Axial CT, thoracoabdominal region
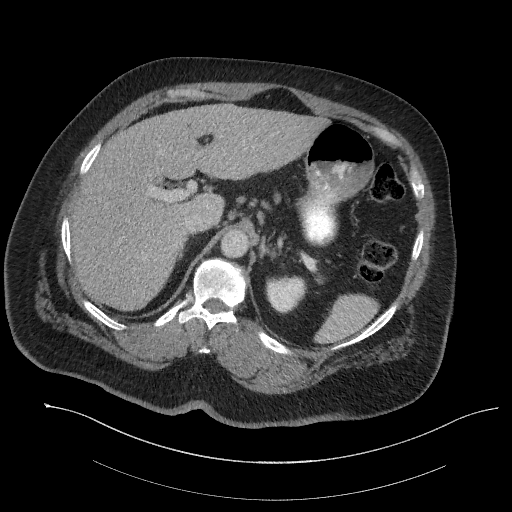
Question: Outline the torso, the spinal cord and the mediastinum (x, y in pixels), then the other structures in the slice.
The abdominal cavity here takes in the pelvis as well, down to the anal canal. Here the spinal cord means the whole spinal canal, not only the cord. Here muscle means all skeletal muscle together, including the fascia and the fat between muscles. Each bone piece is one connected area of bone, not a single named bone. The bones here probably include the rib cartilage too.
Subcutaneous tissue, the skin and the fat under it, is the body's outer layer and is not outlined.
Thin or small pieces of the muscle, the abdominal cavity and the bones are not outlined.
Answer: Outlines (x, y in pixels):
torso: 169,56 259,59 339,71 397,94 433,126 449,167 457,252 455,307 440,367 416,400 360,420 239,428 201,409 173,416 151,411 93,383 44,370 18,349 6,312 4,254 39,162 62,129 108,83 140,64
spinal cord: 211,298 215,298 216,299 219,299 221,301 222,301 222,302 225,305 226,307 226,309 225,310 222,310 221,311 219,311 215,313 212,313 210,312 205,307 204,307 203,305 204,303 207,300
mediastinum: 232,227 241,227 246,231 250,237 250,251 249,252 250,253 250,257 248,265 248,281 245,275 245,272 241,267 238,266 235,263 222,257 205,258 202,260 199,266 195,267 197,262 218,240 220,236 225,231
muscle: 206,81 272,82 285,84 310,92 315,95 327,98 332,101 339,102 354,107 361,111 370,114 388,126 397,130 411,144 419,156 431,186 431,190 433,193 433,198 435,204 434,205 435,206 435,222 433,229 431,231 430,243 432,248 430,253 430,263 424,282 415,297 415,303 417,309 417,321 418,322 417,339 416,343 404,357 391,361 386,361 381,364 373,364 361,368 355,367 343,368 326,376 319,382 310,387 300,389 290,393 266,394 250,390 238,383 231,377 230,372 216,361 214,355 210,356 208,354 205,354 191,356 188,354 186,357 176,358 170,365 158,370 153,371 146,370 130,364 105,351 100,347 81,339 64,330 55,330 38,317 37,312 34,307 35,304 34,294 36,289 38,260 44,240 44,234 50,215 58,199 62,185 67,178 76,157 93,136 113,116 132,101 142,95 164,86 171,86 180,83 205,82, around holes outlined by 273,88 288,90 316,114 348,121 374,136 372,126 386,129 401,142 400,146 385,143 407,178 410,165 417,168 424,194 415,201 415,220 417,230 423,229 423,243 418,257 409,262 393,300 398,307 392,317 356,343 335,350 303,347 262,323 248,281 244,300 234,309 236,325 217,322 209,330 201,318 180,323 175,316 154,326 157,318 192,289 194,266 180,291 155,313 123,318 102,309 126,325 124,329 111,328 92,315 83,305 82,300 87,298 61,241 62,220 66,216 70,221 84,178 79,170 86,154 98,142 103,145 114,132 162,103 243,101 and by 259,330 262,330 265,333 266,333 268,336 269,336 270,337 275,339 277,341 286,345 293,351 293,353 292,354 282,354 281,353 276,352 275,351 266,347 261,342 260,339 257,335 257,332 and by 186,88 190,88 191,89 197,89 200,91 202,91 203,92 204,92 204,94 203,95 198,95 197,96 192,96 191,97 187,97 186,96 177,96 176,97 169,97 166,94 166,92 170,89 185,89 and by 202,346 206,346 209,349 209,352 208,353 199,353 198,352 198,350
bones 1: 210,258 222,258 235,264 244,272 247,280 245,297 243,302 234,309 237,324 217,322 209,330 201,318 193,317 180,323 175,316 160,326 154,326 153,322 157,318 192,289 195,269 200,266 203,260 with a hole at 211,298 215,298 216,299 219,299 221,301 222,301 222,302 225,305 226,307 226,309 225,310 222,310 221,311 219,311 215,313 212,313 210,312 205,307 204,307 203,305 204,303 207,300
bones 2: 395,301 398,304 397,309 395,311 392,317 380,329 368,337 356,343 354,343 335,350 331,350 330,349 331,347 335,345 348,341 352,338 357,336 362,331 367,328 380,315 381,315 392,304 393,302
bones 3: 83,299 87,299 109,317 118,321 120,323 122,323 126,325 127,327 121,330 117,330 116,329 114,329 113,328 111,328 107,326 96,317 92,315 85,308 82,302 82,300
bones 4: 259,330 262,330 265,333 266,333 268,336 269,336 270,337 275,339 277,341 286,345 293,351 293,353 292,354 282,354 281,353 276,352 275,351 266,347 261,342 260,339 257,335 257,332
bones 5: 412,163 414,164 417,168 418,172 419,173 419,175 420,176 420,178 421,179 421,181 424,187 424,194 423,195 423,197 421,199 416,199 414,195 411,184 410,183 410,174 409,173 409,170 410,169 410,165
bones 6: 64,216 66,216 68,218 68,221 69,222 69,236 70,237 70,255 71,256 71,263 69,263 67,259 67,257 64,251 64,249 62,245 62,242 61,241 61,224 62,223 62,220
bones 7: 98,142 101,142 102,143 102,145 97,155 93,160 88,170 84,174 80,174 79,173 79,170 80,169 80,166 81,165 81,163 83,159 85,157 86,154 94,146 94,145 95,145
bones 8: 372,126 376,126 380,128 383,128 384,129 386,129 388,131 389,131 391,133 395,135 399,139 399,140 401,142 401,145 400,146 396,146 395,145 390,144 382,140 380,138 379,138 372,130 371,128
bones 9: 186,88 190,88 191,89 197,89 200,91 202,91 203,92 204,92 204,94 203,95 198,95 197,96 192,96 191,97 187,97 186,96 177,96 176,97 169,97 166,94 166,92 170,89 185,89
bones 10: 420,229 423,229 423,231 424,232 422,247 420,250 420,252 419,253 419,255 418,257 415,260 413,260 411,261 411,253 412,252 412,248 413,247 413,245 414,244 414,241 417,235 417,233
abdominal cavity: 273,88 377,137 403,168 416,200 417,232 391,304 357,335 330,347 282,338 260,319 249,282 251,237 241,226 219,236 155,313 123,318 90,301 74,273 70,219 84,175 108,138 165,102 243,101